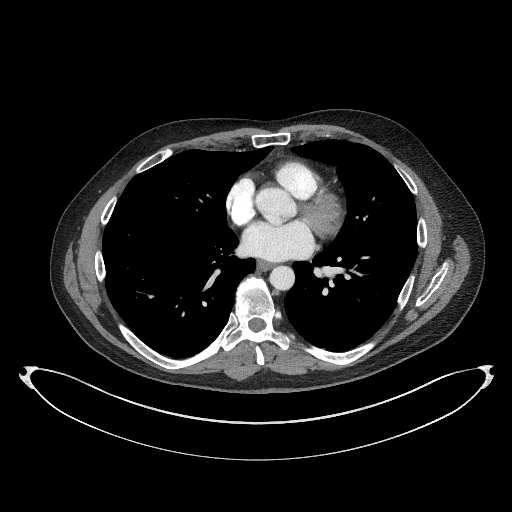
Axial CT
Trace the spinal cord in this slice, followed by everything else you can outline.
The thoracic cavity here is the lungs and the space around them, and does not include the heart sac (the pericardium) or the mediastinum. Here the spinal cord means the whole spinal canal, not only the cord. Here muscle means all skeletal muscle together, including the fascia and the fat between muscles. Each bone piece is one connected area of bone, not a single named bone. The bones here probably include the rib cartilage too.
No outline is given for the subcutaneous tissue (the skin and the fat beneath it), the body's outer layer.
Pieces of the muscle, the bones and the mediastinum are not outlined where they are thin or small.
Outlines (x, y in pixels):
spinal cord: 254 331; 258 331; 259 330; 260 330; 261 329; 262 329; 265 326; 265 323; 263 321; 263 320; 262 320; 259 318; 254 318; 253 319; 252 319; 249 321; 249 322; 248 323; 248 324; 249 325; 249 327; 252 330; 253 330
torso: 241 394; 307 391; 371 376; 446 338; 471 307; 485 265; 481 224; 458 186; 403 125; 376 113; 351 108; 314 110; 271 120; 174 120; 152 127; 127 142; 64 209; 52 240; 49 277; 58 306; 81 339; 113 364; 134 374; 171 385
mediastinum 1: 295 331; 289 323; 283 308; 283 301; 295 281; 295 274; 292 265; 296 261; 270 262; 253 256; 248 256; 253 257; 256 261; 256 264; 254 271; 247 275; 252 274; 264 279; 270 290; 276 307; 279 308; 283 313; 284 321
mediastinum 2: 334 173; 336 173; 335 165; 328 165; 323 162; 299 156; 295 154; 291 150; 291 148; 293 146; 306 142; 297 142; 295 141; 284 146; 280 146; 279 145; 272 146; 273 148; 261 160; 262 161; 277 156; 299 157; 326 166; 330 168
mediastinum 3: 237 235; 237 234; 234 231; 234 230; 231 227; 231 225; 229 223; 229 222; 228 221; 228 219; 227 218; 227 217; 227 225; 231 229; 232 229; 234 231; 234 232
pericardium: 270 261; 310 260; 327 243; 329 243; 338 232; 346 213; 345 198; 343 193; 344 190; 336 174; 334 174; 330 169; 299 158; 277 157; 260 162; 242 173; 229 190; 225 200; 226 213; 232 227; 239 236; 240 247; 248 255; 253 255
bones 1: 169 369; 194 364; 220 348; 228 351; 244 339; 257 344; 256 361; 262 365; 260 342; 270 340; 285 350; 295 334; 275 327; 282 313; 263 279; 250 275; 239 283; 234 309; 220 333; 190 357; 164 356; 118 323; 125 339; 139 353 with a hole at 254 331; 258 331; 259 330; 260 330; 261 329; 262 329; 265 326; 265 323; 263 321; 263 320; 262 320; 259 318; 254 318; 253 319; 252 319; 249 321; 249 322; 248 323; 248 324; 249 325; 249 327; 252 330; 253 330
bones 2: 335 364; 348 364; 350 362; 354 361; 369 351; 376 344; 377 340; 371 340; 353 349; 344 352; 333 352; 332 351; 326 350; 323 348; 317 347; 314 345; 311 345; 308 347; 304 347; 304 350; 305 351; 310 353; 317 358
bones 3: 254 148; 260 148; 264 146; 267 146; 268 145; 274 145; 275 144; 279 144; 280 145; 284 145; 285 144; 287 144; 291 141; 291 134; 290 132; 288 131; 278 131; 277 132; 268 132; 267 133; 254 133; 250 136; 251 145
bones 4: 416 306; 419 306; 420 305; 423 304; 430 297; 430 296; 433 293; 433 292; 440 285; 443 278; 445 276; 445 275; 448 270; 449 263; 447 260; 444 261; 442 263; 440 268; 432 276; 427 287; 416 299; 416 302; 415 303; 415 305
bones 5: 136 173; 139 173; 140 172; 142 172; 150 168; 152 166; 163 161; 165 159; 166 159; 168 157; 169 157; 173 154; 173 150; 169 147; 166 147; 165 148; 162 148; 161 149; 159 149; 157 151; 152 153; 144 160; 143 160; 136 167
bones 6: 401 310; 406 304; 409 298; 410 293; 412 290; 412 287; 413 286; 413 283; 414 282; 414 279; 415 278; 415 275; 413 273; 411 273; 408 276; 397 298; 397 304; 399 307; 399 309
bones 7: 419 247; 424 247; 426 245; 426 243; 427 242; 427 229; 426 228; 426 223; 425 222; 425 220; 423 218; 423 217; 422 216; 419 216; 418 217; 418 219; 417 220; 417 244; 418 245; 418 246
bones 8: 100 282; 102 282; 104 280; 104 277; 105 276; 105 267; 104 266; 104 262; 103 261; 103 257; 102 256; 102 253; 101 252; 101 250; 98 249; 96 250; 95 254; 94 255; 94 265; 95 266; 95 272; 96 273; 96 276; 98 280
bones 9: 103 226; 104 226; 107 223; 111 215; 111 213; 114 208; 114 206; 118 198; 116 195; 113 195; 108 200; 108 201; 106 203; 106 204; 103 208; 103 210; 101 213; 101 216; 100 217; 100 220
bones 10: 414 195; 417 194; 417 187; 416 186; 413 179; 411 177; 411 176; 405 170; 400 168; 396 164; 393 164; 393 166; 395 168; 395 169; 397 171; 397 172; 399 174; 399 175; 402 178; 402 179; 406 184; 406 185; 409 189; 409 190
thoracic cavity 1: 173 358; 190 356; 214 339; 233 309; 238 283; 254 269; 254 259; 239 247; 237 236; 226 225; 224 200; 236 178; 258 163; 271 146; 191 149; 174 154; 130 180; 104 228; 104 281; 112 304; 125 324; 144 342
thoracic cavity 2: 333 351; 344 351; 365 342; 392 312; 416 257; 417 218; 413 195; 383 156; 357 142; 328 138; 308 141; 292 150; 299 155; 336 165; 345 190; 347 213; 335 238; 311 263; 294 263; 296 281; 285 298; 284 308; 298 334; 311 344
muscle 1: 236 380; 261 369; 298 375; 363 362; 427 322; 460 287; 470 266; 467 244; 457 235; 448 246; 450 250; 441 255; 446 238; 435 202; 418 175; 384 146; 332 124; 298 123; 278 130; 290 131; 292 141; 325 138; 324 134; 329 132; 332 138; 366 144; 390 163; 405 169; 418 187; 418 194; 414 196; 416 212; 417 217; 422 215; 426 220; 428 242; 424 248; 418 247; 411 271; 416 278; 410 298; 401 311; 396 305; 367 341; 377 339; 377 344; 348 365; 328 363; 305 352; 303 347; 310 344; 283 319; 275 322; 276 327; 288 333; 292 331; 296 337; 285 351; 270 341; 260 343; 265 358; 262 366; 255 361; 256 344; 248 340; 228 352; 220 349; 186 368; 169 370; 151 362; 120 333; 117 323; 124 322; 111 304; 104 282; 97 280; 93 265; 94 252; 101 249; 102 208; 113 194; 120 195; 135 174; 135 167; 147 156; 117 179; 84 217; 76 246; 74 248; 71 241; 65 254; 63 283; 98 332; 115 346; 162 371; 223 372; inner edge: 416 306; 419 306; 420 305; 423 304; 430 297; 430 296; 433 293; 433 292; 440 285; 443 278; 445 276; 445 275; 448 270; 449 263; 447 260; 444 261; 442 263; 440 268; 432 276; 427 287; 416 299; 416 302; 415 303; 415 305
muscle 2: 174 153; 191 148; 237 149; 241 147; 242 145; 250 145; 249 136; 252 133; 254 132; 267 132; 269 131; 256 127; 241 127; 231 130; 219 131; 207 135; 202 135; 190 139; 186 139; 185 140; 169 143; 162 147; 169 146; 174 150